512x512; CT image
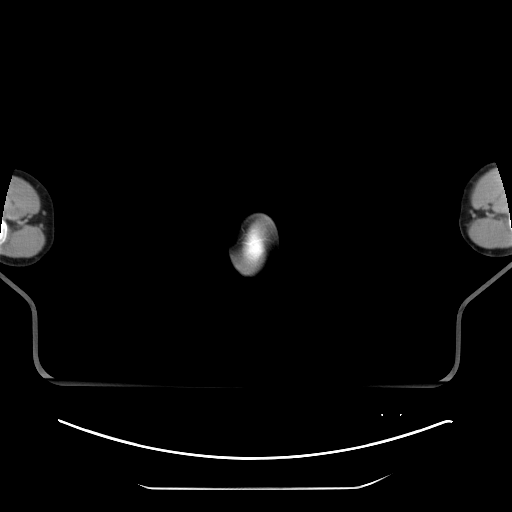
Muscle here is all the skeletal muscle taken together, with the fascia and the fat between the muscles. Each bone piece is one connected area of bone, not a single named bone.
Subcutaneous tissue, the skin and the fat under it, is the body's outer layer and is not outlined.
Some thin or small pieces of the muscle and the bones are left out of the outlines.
{"left_arm":[[[491,161],[495,162],[497,170],[499,172],[507,201],[507,205],[509,209],[508,212],[510,217],[509,219],[511,220],[511,255],[503,257],[490,257],[478,253],[472,249],[464,241],[458,227],[458,210],[459,209],[460,197],[464,184],[468,178],[478,168]]],"right_arm":[[[16,168],[22,169],[32,174],[47,188],[53,201],[54,205],[54,218],[55,219],[55,239],[52,249],[47,255],[37,262],[31,265],[23,267],[9,266],[0,263],[0,225],[3,218],[2,217],[2,211],[3,210],[4,199],[10,180],[10,177]]],"head_and_neck":[[[254,210],[264,211],[268,213],[274,219],[279,230],[280,247],[279,248],[279,258],[274,263],[266,278],[265,279],[250,280],[239,277],[234,272],[230,265],[226,254],[227,253],[228,242],[230,239],[230,232],[232,229],[232,225],[234,221],[236,218]]],"muscle":[[[11,175],[21,177],[28,181],[37,190],[43,202],[43,207],[45,213],[44,217],[45,218],[46,240],[42,249],[37,254],[29,258],[11,258],[1,255],[0,256],[0,245],[5,241],[8,233],[8,227],[4,218],[2,217],[2,211],[5,194]],[[492,168],[496,169],[499,172],[502,181],[506,200],[507,201],[508,208],[506,210],[506,214],[509,223],[510,224],[511,223],[511,247],[508,248],[488,249],[481,247],[472,241],[467,233],[468,205],[469,204],[470,191],[476,180],[480,176]],[[254,214],[263,214],[269,219],[274,229],[275,239],[268,253],[267,237],[264,229],[255,221],[247,226],[241,240],[241,255],[243,259],[252,266],[258,266],[264,262],[255,273],[246,275],[236,267],[231,255],[238,246],[241,228],[246,219]]],"bones":[[[254,222],[257,223],[263,229],[266,237],[266,248],[267,249],[266,257],[265,258],[265,260],[258,265],[252,265],[248,263],[246,260],[244,259],[242,255],[242,251],[241,250],[241,247],[242,246],[242,240],[244,237],[244,233],[246,231],[248,226]],[[3,218],[3,220],[4,221],[4,222],[5,223],[5,224],[6,225],[6,226],[7,227],[7,233],[6,234],[6,237],[5,238],[5,239],[4,240],[4,241],[3,242],[2,242],[0,244],[0,225],[1,224],[1,223],[2,222],[2,219]]]}